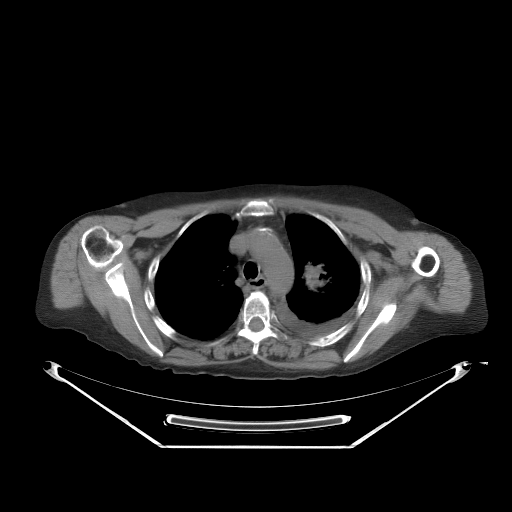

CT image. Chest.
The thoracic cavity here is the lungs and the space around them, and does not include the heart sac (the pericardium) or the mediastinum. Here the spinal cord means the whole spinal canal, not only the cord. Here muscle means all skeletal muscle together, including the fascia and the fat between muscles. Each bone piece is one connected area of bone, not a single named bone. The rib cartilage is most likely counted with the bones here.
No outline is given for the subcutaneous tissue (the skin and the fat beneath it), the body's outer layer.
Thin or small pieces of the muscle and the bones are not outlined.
Outlines:
mediastinum: 276 212; 290 213; 285 219; 285 229; 293 258; 294 281; 285 297; 286 301; 280 301; 272 308; 269 298; 263 291; 253 290; 244 298; 236 284; 237 260; 229 251; 228 242; 237 222; 228 214; 233 214; 239 219; 248 216; 272 216
bones 1: 98 224; 102 225; 112 238; 119 239; 123 244; 113 262; 123 263; 123 275; 135 315; 149 340; 163 352; 162 357; 146 343; 136 326; 128 303; 112 292; 104 278; 106 269; 96 269; 88 263; 84 255; 80 245; 81 236; 88 228
bones 2: 253 291; 261 291; 266 295; 270 307; 274 310; 279 321; 281 331; 287 336; 285 338; 282 334; 279 338; 275 338; 272 336; 264 338; 260 341; 256 354; 252 352; 252 342; 243 336; 236 335; 234 332; 235 323; 243 305; 244 299; inner edge: 254 318; 259 318; 261 320; 261 321; 263 323; 263 327; 261 329; 260 329; 259 330; 258 330; 257 331; 255 331; 254 330; 252 330; 250 328; 250 327; 249 326; 249 324; 250 323; 250 322; 251 321; 251 320; 252 319; 253 319
bones 3: 421 246; 429 246; 431 247; 436 252; 436 253; 439 257; 439 260; 440 261; 439 267; 437 271; 435 273; 435 274; 430 277; 426 277; 425 276; 422 276; 420 274; 417 273; 412 268; 411 266; 411 262; 416 255; 418 248; 419 248
bones 4: 392 302; 394 302; 396 304; 396 309; 391 319; 386 324; 383 324; 382 323; 381 324; 379 324; 367 336; 359 350; 353 356; 352 356; 347 362; 344 362; 343 361; 343 358; 359 341; 361 337; 374 321; 384 304; 386 303; 391 303
bones 5: 270 198; 272 198; 274 200; 274 202; 272 205; 275 211; 274 214; 272 215; 261 215; 260 216; 248 215; 247 216; 241 216; 239 218; 236 218; 234 216; 234 213; 236 211; 237 211; 246 202; 252 199; 263 199; 264 200; 268 200
bones 6: 361 258; 364 258; 368 262; 370 266; 371 280; 369 284; 369 298; 367 305; 363 312; 358 317; 356 317; 355 315; 356 314; 355 313; 356 312; 355 310; 356 309; 356 306; 364 288; 364 285; 362 284; 361 281; 361 271; 359 265
bones 7: 349 322; 352 323; 352 327; 351 329; 343 337; 342 337; 336 342; 330 345; 327 345; 322 347; 320 346; 314 346; 313 345; 310 345; 308 343; 308 341; 310 339; 327 335; 337 330; 340 327; 346 323; 348 323
bones 8: 154 315; 158 315; 160 316; 171 327; 172 327; 177 332; 177 334; 175 336; 175 339; 173 339; 172 338; 170 338; 168 337; 166 335; 165 335; 157 327; 157 326; 154 323; 153 321; 153 319; 152 318; 152 317
bones 9: 311 212; 316 212; 317 213; 319 213; 327 217; 329 219; 330 219; 337 226; 337 227; 342 232; 342 233; 344 235; 347 241; 347 246; 346 246; 342 242; 342 241; 337 235; 337 234; 328 225; 327 225; 321 220; 311 215; 310 214
bones 10: 205 209; 208 209; 209 211; 208 214; 197 219; 190 225; 189 225; 185 229; 185 230; 181 234; 181 235; 176 240; 175 238; 180 228; 190 218; 191 218; 193 216; 196 215; 198 213; 201 212
bones 11: 157 254; 159 254; 160 255; 160 261; 159 262; 159 264; 158 265; 158 267; 157 268; 157 270; 155 274; 155 277; 154 278; 154 280; 153 281; 150 281; 148 279; 148 276; 147 275; 148 274; 148 267; 150 264; 150 262; 151 260
bones 12: 147 287; 148 287; 150 289; 150 290; 151 291; 151 292; 154 297; 154 300; 155 301; 155 304; 156 305; 156 306; 152 310; 149 310; 149 309; 147 307; 147 306; 146 305; 146 303; 145 302; 145 300; 144 299; 144 290
left arm: 417 218; 424 222; 432 224; 455 235; 475 254; 478 259; 484 274; 485 288; 486 289; 486 299; 489 310; 489 321; 487 326; 482 332; 475 335; 465 335; 464 336; 443 335; 439 337; 436 337; 401 310; 389 276; 389 272; 399 242
right arm: 120 202; 122 204; 124 220; 127 231; 127 237; 117 264; 114 267; 89 281; 72 283; 65 285; 59 285; 58 286; 42 286; 39 285; 38 284; 38 277; 42 259; 46 248; 55 233; 67 222; 82 213; 90 210; 107 207
torso: 261 182; 361 185; 411 208; 417 217; 398 242; 388 276; 400 310; 436 338; 353 375; 234 379; 174 374; 168 369; 141 366; 81 333; 48 328; 36 320; 33 309; 38 285; 89 282; 118 264; 128 237; 122 201; 162 189; 202 190
spinal cord: 254 318; 259 318; 261 320; 261 321; 263 323; 263 327; 261 329; 260 329; 259 330; 258 330; 257 331; 255 331; 254 330; 252 330; 250 328; 250 327; 249 326; 249 324; 250 323; 250 322; 251 321; 251 320; 252 319; 253 319
muscle: 275 194; 363 208; 378 215; 399 230; 423 230; 445 237; 462 254; 471 275; 472 297; 463 313; 440 314; 420 310; 411 320; 408 327; 396 333; 373 353; 353 362; 341 363; 322 370; 311 370; 274 367; 257 358; 236 363; 202 366; 182 366; 164 363; 129 342; 92 306; 68 309; 60 309; 53 306; 49 280; 54 256; 60 240; 79 220; 92 215; 123 215; 135 218; 156 209; 181 204 with holes at 270 198; 276 212; 327 217; 344 235; 355 260; 368 262; 368 302; 358 317; 354 309; 351 312; 345 322; 352 323; 351 329; 321 347; 282 327; 287 337; 264 338; 256 354; 250 340; 235 334; 234 323; 213 339; 179 332; 175 339; 165 335; 152 318; 161 315; 158 308; 149 310; 144 299; 147 287; 154 294; 147 275; 151 260; 157 254; 161 260; 180 228; 203 210; 233 214; 252 199 and at 98 224; 102 225; 112 238; 119 239; 123 244; 113 262; 123 263; 123 275; 135 315; 149 340; 163 352; 162 357; 146 343; 136 326; 128 303; 112 292; 104 278; 106 269; 96 269; 88 263; 84 255; 80 245; 81 236; 88 228 and at 421 246; 429 246; 431 247; 436 252; 436 253; 439 257; 439 260; 440 261; 439 267; 437 271; 435 273; 435 274; 430 277; 426 277; 425 276; 422 276; 420 274; 417 273; 412 268; 411 266; 411 262; 416 255; 418 248; 419 248 and at 392 302; 394 302; 396 304; 396 309; 391 319; 386 324; 383 324; 382 323; 381 324; 379 324; 367 336; 359 350; 353 356; 352 356; 347 362; 344 362; 343 361; 343 358; 359 341; 361 337; 374 321; 384 304; 386 303; 391 303 and at 224 337; 225 337; 226 338; 223 341; 222 341; 220 343; 219 343; 216 345; 214 345; 213 346; 209 346; 208 345; 208 343; 209 343; 212 341; 214 341; 215 340; 217 340; 218 339; 220 339; 221 338; 223 338
thoracic cavity 1: 217 213; 227 214; 231 220; 236 222; 235 229; 227 242; 227 249; 236 260; 237 276; 235 284; 241 291; 243 301; 233 325; 221 335; 213 339; 204 340; 178 332; 161 316; 154 296; 154 281; 161 260; 186 229; 197 220; 209 214
thoracic cavity 2: 291 213; 310 215; 328 226; 336 234; 358 263; 360 271; 361 292; 355 309; 351 312; 345 323; 327 334; 311 338; 298 335; 282 327; 274 309; 280 302; 287 301; 286 297; 291 291; 295 281; 294 258; 286 229; 286 219; 287 216